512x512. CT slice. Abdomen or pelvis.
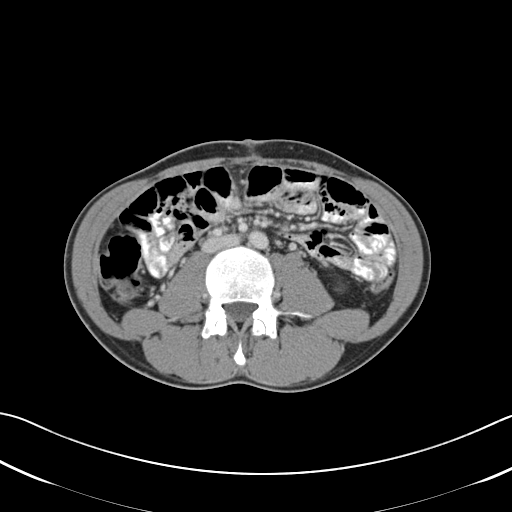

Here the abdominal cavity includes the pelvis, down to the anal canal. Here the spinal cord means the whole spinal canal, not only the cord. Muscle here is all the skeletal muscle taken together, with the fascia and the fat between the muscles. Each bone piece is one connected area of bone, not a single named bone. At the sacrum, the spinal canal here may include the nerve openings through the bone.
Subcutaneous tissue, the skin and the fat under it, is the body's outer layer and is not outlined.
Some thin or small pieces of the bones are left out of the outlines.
muscle: (251, 155) (314, 161) (347, 174) (371, 180) (391, 193) (411, 216) (421, 239) (423, 270) (418, 290) (409, 306) (389, 329) (371, 340) (348, 344) (338, 363) (323, 377) (312, 382) (290, 386) (274, 386) (260, 383) (244, 375) (236, 375) (212, 383) (191, 383) (182, 381) (176, 376) (164, 375) (146, 361) (139, 345) (105, 333) (96, 325) (82, 306) (71, 275) (72, 249) (77, 230) (91, 206) (119, 185) (151, 176) (184, 162) (213, 157) (245, 157) with holes at (253, 162) (337, 175) (379, 205) (397, 250) (383, 313) (371, 323) (361, 307) (331, 309) (302, 257) (275, 252) (273, 304) (311, 318) (279, 315) (274, 339) (230, 326) (203, 338) (210, 257) (196, 250) (157, 310) (132, 307) (114, 320) (96, 263) (119, 212) (157, 179) and at (240, 339) (242, 341) (242, 351) (243, 352) (243, 353) (244, 354) (244, 356) (245, 357) (245, 364) (242, 366) (240, 366) (239, 365) (238, 365) (235, 362) (235, 361) (233, 358) (233, 356) (234, 355) (234, 354) (237, 349) (237, 346) (238, 345) (238, 342)
bones: (237, 245) (249, 247) (268, 258) (274, 275) (272, 301) (278, 309) (308, 313) (311, 318) (279, 315) (277, 336) (274, 339) (264, 334) (252, 335) (248, 329) (239, 334) (230, 326) (225, 335) (214, 334) (203, 338) (204, 311) (209, 301) (205, 286) (206, 266) (216, 253), around a hole outlined by (233, 302) (247, 302) (248, 303) (253, 303) (256, 305) (256, 308) (251, 313) (249, 319) (248, 318) (242, 322) (237, 322) (233, 319) (230, 318) (228, 316) (228, 315) (226, 312) (226, 310) (223, 306) (223, 305) (224, 305) (225, 304) (229, 304) (230, 303) (232, 303)
spinal cord: (233, 302) (247, 302) (248, 303) (253, 303) (256, 305) (256, 308) (251, 313) (249, 319) (248, 318) (242, 322) (237, 322) (233, 319) (230, 318) (228, 316) (228, 315) (226, 312) (226, 310) (223, 306) (223, 305) (224, 305) (225, 304) (229, 304) (230, 303) (232, 303)
abdominal cavity: (253, 162) (337, 175) (379, 205) (397, 250) (395, 283) (383, 313) (371, 323) (361, 307) (331, 309) (334, 299) (298, 253) (275, 252) (269, 259) (237, 244) (210, 258) (194, 251) (166, 283) (157, 310) (132, 307) (114, 320) (102, 303) (96, 263) (119, 212) (157, 179)
torso: (245, 138) (283, 138) (312, 143) (366, 169) (409, 202) (428, 237) (431, 273) (415, 315) (364, 365) (317, 388) (278, 392) (235, 383) (209, 389) (183, 389) (155, 381) (130, 369) (98, 343) (78, 317) (65, 288) (66, 239) (76, 216) (97, 192) (184, 147) (211, 140)